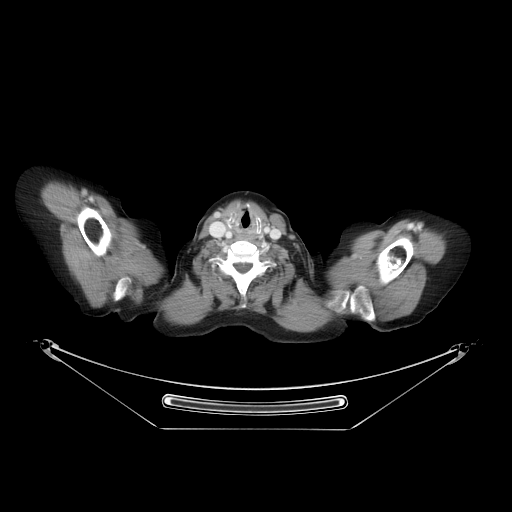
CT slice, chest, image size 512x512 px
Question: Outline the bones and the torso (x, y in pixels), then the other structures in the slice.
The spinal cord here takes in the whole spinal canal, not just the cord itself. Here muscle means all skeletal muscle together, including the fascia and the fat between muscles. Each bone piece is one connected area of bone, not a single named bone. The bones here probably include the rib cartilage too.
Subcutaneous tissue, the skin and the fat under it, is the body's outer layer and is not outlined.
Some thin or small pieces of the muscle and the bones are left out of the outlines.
Answer: {"bones":[{"outer":[[236,240],[250,241],[259,248],[265,248],[268,245],[268,249],[261,256],[272,260],[276,264],[249,283],[245,294],[246,306],[244,308],[240,307],[243,300],[234,280],[220,271],[217,265],[212,266],[209,260],[217,255],[223,256],[223,246],[229,245]],"hole":[[235,263],[250,263],[251,264],[251,267],[247,271],[246,271],[245,272],[240,272],[239,271],[238,271],[235,268],[235,267],[234,266],[234,264]]},[[400,236],[407,237],[411,240],[413,243],[414,252],[407,265],[403,269],[403,270],[394,279],[385,285],[381,285],[378,282],[378,272],[377,271],[376,265],[375,264],[376,259],[378,256],[378,254],[384,248],[385,248],[389,244],[393,242]],[[359,285],[363,285],[368,289],[375,314],[375,320],[374,321],[371,322],[364,321],[357,315],[354,315],[350,313],[348,307],[341,312],[336,312],[326,307],[324,302],[330,296],[330,290],[332,289],[339,289],[340,290],[348,290],[350,292],[352,292]],[[84,206],[89,206],[90,207],[94,208],[99,213],[109,228],[112,234],[112,240],[111,241],[110,247],[108,249],[107,252],[103,256],[97,256],[94,254],[94,253],[91,250],[85,241],[77,224],[77,220],[76,219],[76,217],[78,213]],[[124,276],[128,276],[131,279],[131,286],[130,287],[130,292],[129,294],[127,295],[123,299],[119,301],[117,301],[115,302],[113,301],[112,299],[112,295],[113,294],[113,292],[115,288],[115,285],[117,281],[121,277],[123,277]]],"torso":[[[241,188],[265,195],[285,212],[313,251],[318,275],[332,286],[358,293],[387,331],[357,322],[329,341],[278,343],[241,325],[201,336],[165,337],[152,328],[151,314],[129,322],[120,321],[115,313],[97,317],[135,289],[164,285],[205,210]]],"left_arm":[[[409,207],[426,208],[461,221],[470,232],[472,251],[459,279],[434,310],[416,324],[388,331],[380,323],[369,304],[358,292],[332,285],[319,275],[315,265],[314,250],[318,249],[325,254],[338,240],[344,227],[354,220],[367,219],[381,223],[397,210]]],"muscle":[{"outer":[[236,197],[253,199],[283,217],[315,279],[339,258],[355,237],[405,218],[424,220],[446,231],[448,246],[444,256],[431,269],[416,307],[405,316],[376,320],[369,289],[359,284],[352,291],[332,288],[323,302],[329,310],[341,313],[348,308],[353,315],[338,317],[312,332],[286,330],[261,314],[233,310],[214,312],[192,325],[172,325],[162,317],[155,302],[176,287],[183,272],[190,267],[206,218],[218,206]],"holes":[[[246,203],[253,207],[264,224],[278,229],[280,237],[276,240],[248,240],[259,248],[268,245],[261,256],[276,264],[249,283],[246,306],[241,308],[243,300],[234,280],[217,265],[212,266],[209,260],[223,256],[223,246],[240,239],[213,236],[209,227]],[[400,236],[407,237],[411,240],[413,243],[414,252],[407,265],[403,269],[403,270],[394,279],[385,285],[381,285],[378,282],[378,272],[377,271],[376,265],[375,264],[376,259],[378,256],[378,254],[384,248],[385,248],[389,244],[393,242]]]},{"outer":[[49,178],[82,185],[100,194],[119,217],[139,228],[140,239],[165,267],[165,273],[149,289],[144,302],[136,305],[122,300],[130,294],[132,286],[132,279],[124,275],[114,285],[114,303],[102,307],[88,303],[65,264],[59,222],[40,201],[39,187]],"holes":[[[84,206],[89,206],[90,207],[94,208],[99,213],[109,228],[112,234],[112,240],[111,241],[110,247],[108,249],[107,252],[103,256],[97,256],[94,254],[94,253],[91,250],[85,241],[77,224],[77,220],[76,219],[76,217],[78,213]],[[137,289],[138,289],[139,289],[140,289],[141,289],[142,290],[142,291],[143,292],[143,293],[143,294],[143,295],[142,296],[142,297],[141,298],[140,298],[139,297],[138,296],[137,295],[136,294],[136,293],[135,292],[135,291],[136,290]]]}],"central_area_in_front_of_the_spine":[[[242,204],[253,207],[256,214],[256,229],[258,232],[261,231],[262,221],[267,226],[273,226],[278,229],[280,237],[276,240],[248,240],[211,235],[209,232],[211,223],[216,220],[225,219],[227,226],[230,228],[234,217],[231,215],[227,217],[236,207]]],"right_arm":[[[39,162],[61,165],[103,185],[110,194],[120,199],[123,209],[129,216],[146,215],[153,218],[160,228],[173,263],[170,278],[160,286],[135,288],[103,315],[92,317],[83,314],[56,280],[33,238],[20,221],[15,208],[13,191],[18,174],[29,165]]],"spinal_cord":[[[235,263],[250,263],[251,264],[251,267],[247,271],[246,271],[245,272],[240,272],[239,271],[238,271],[235,268],[235,267],[234,266],[234,264]]]}